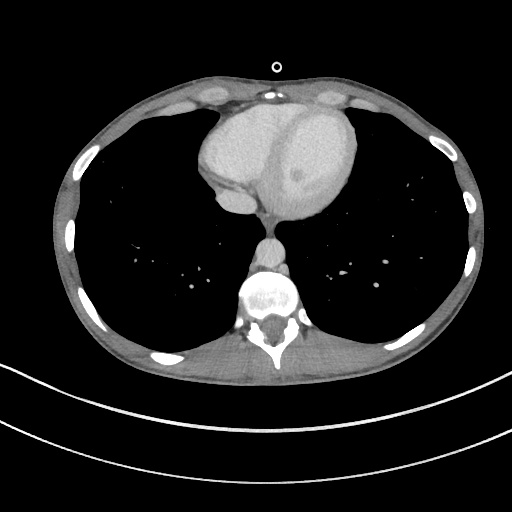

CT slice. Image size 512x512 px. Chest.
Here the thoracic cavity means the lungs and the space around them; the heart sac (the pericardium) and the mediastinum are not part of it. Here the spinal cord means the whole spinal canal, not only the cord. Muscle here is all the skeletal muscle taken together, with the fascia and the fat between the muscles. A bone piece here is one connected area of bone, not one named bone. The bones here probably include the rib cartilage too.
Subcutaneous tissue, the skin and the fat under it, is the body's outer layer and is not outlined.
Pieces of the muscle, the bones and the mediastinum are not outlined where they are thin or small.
{"mediastinum":[[[246,277],[259,270],[271,270],[289,276],[285,248],[276,237],[275,228],[281,221],[303,222],[314,215],[286,219],[271,214],[257,196],[222,185],[198,167],[200,174],[214,190],[215,200],[224,210],[239,214],[252,213],[265,229],[264,237],[255,246]],[[219,117],[224,114],[231,112],[241,105],[250,103],[253,101],[260,101],[261,102],[282,102],[293,101],[280,100],[279,101],[275,102],[270,102],[269,101],[251,101],[250,100],[232,99],[220,105],[210,105],[209,104],[199,105],[196,109],[204,108],[215,111],[219,114]]],"spinal_cord":[[[271,343],[274,343],[281,337],[282,335],[282,330],[285,327],[286,325],[286,318],[284,318],[281,316],[278,316],[274,314],[271,314],[267,316],[263,320],[261,321],[259,321],[259,325],[260,326],[260,328],[268,337],[268,341],[269,341]]],"torso":[[[220,386],[299,385],[373,374],[409,359],[447,328],[477,281],[485,246],[481,190],[465,154],[449,134],[396,96],[352,78],[331,75],[259,79],[212,74],[138,100],[78,150],[60,181],[51,217],[58,275],[78,321],[103,349],[131,367],[180,381]]],"muscle":[{"outer":[[228,378],[336,374],[377,365],[417,345],[452,311],[478,265],[482,215],[465,162],[444,134],[394,102],[342,82],[272,86],[215,78],[142,104],[86,148],[98,142],[103,149],[138,121],[180,101],[192,100],[198,105],[220,104],[232,98],[265,100],[261,95],[268,90],[286,96],[270,101],[309,100],[321,91],[333,90],[348,98],[338,105],[351,106],[350,100],[356,97],[369,100],[377,111],[393,115],[426,139],[430,133],[439,135],[457,151],[458,159],[452,163],[457,182],[477,202],[476,211],[468,215],[468,242],[477,250],[470,275],[461,276],[426,319],[423,332],[407,344],[388,351],[382,342],[358,342],[300,323],[298,336],[282,354],[280,370],[246,339],[247,321],[240,329],[232,327],[216,339],[178,352],[185,358],[171,366],[153,361],[148,356],[150,349],[109,326],[107,332],[102,331],[79,301],[76,287],[82,283],[75,253],[64,246],[65,223],[70,217],[75,219],[80,200],[80,181],[72,180],[72,166],[58,201],[55,236],[62,273],[78,312],[112,348],[144,366],[179,375]],"hole":[[202,102],[210,102],[213,100],[216,100],[217,99],[223,99],[224,98],[225,98],[228,95],[228,91],[225,88],[224,88],[223,87],[214,87],[213,88],[209,88],[208,89],[206,89],[205,90],[200,92],[197,95],[197,99],[199,101],[201,101]]}],"pericardium":[[[286,218],[301,218],[323,210],[338,194],[347,180],[357,148],[356,135],[355,129],[347,116],[335,106],[324,104],[316,100],[282,103],[253,102],[241,106],[231,113],[220,117],[208,132],[200,146],[198,166],[206,174],[222,184],[257,195],[269,212]]],"bones":[{"outer":[[276,369],[280,369],[280,359],[283,350],[297,336],[299,323],[307,326],[314,324],[301,303],[295,284],[289,277],[276,272],[259,271],[248,276],[239,288],[239,308],[233,327],[235,329],[240,328],[247,320],[249,322],[247,339],[262,348],[271,357]],"hole":[[271,343],[274,343],[281,337],[282,335],[282,330],[285,327],[286,325],[286,318],[284,318],[281,316],[278,316],[274,314],[271,314],[267,316],[263,320],[261,321],[259,321],[259,325],[260,326],[260,328],[268,337],[268,341],[269,341]]},[[75,181],[79,181],[80,180],[83,173],[88,167],[91,161],[96,156],[98,152],[101,149],[101,145],[100,144],[98,143],[96,143],[95,144],[93,144],[91,145],[87,149],[86,149],[77,159],[72,169],[72,178],[73,180]],[[104,331],[107,331],[107,329],[108,328],[107,324],[106,324],[105,322],[103,321],[103,320],[98,314],[95,307],[88,297],[83,287],[79,285],[77,287],[77,293],[83,307],[85,309],[86,312],[91,318],[91,319],[102,330]],[[388,350],[392,350],[393,349],[395,349],[407,343],[409,341],[416,337],[419,334],[420,334],[425,328],[427,320],[425,320],[421,322],[407,332],[404,333],[401,336],[400,336],[395,340],[386,342],[383,345],[383,347],[385,349],[387,349]],[[452,162],[455,161],[457,159],[457,153],[454,149],[454,148],[446,140],[445,140],[443,138],[442,138],[439,136],[434,135],[433,134],[430,134],[427,138],[428,139],[429,142],[433,146],[434,146],[440,151],[441,151]],[[156,116],[160,116],[161,115],[172,115],[173,114],[177,114],[178,113],[182,113],[183,112],[191,111],[195,109],[197,105],[196,103],[192,101],[185,101],[184,102],[180,102],[179,103],[172,104],[158,110],[157,111]],[[165,365],[171,365],[172,364],[175,364],[181,361],[184,358],[184,357],[182,355],[180,355],[177,353],[168,353],[167,352],[161,352],[160,351],[156,351],[155,350],[150,350],[149,352],[149,356],[153,360],[159,363],[164,364]],[[202,102],[210,102],[213,100],[216,100],[217,99],[223,99],[224,98],[225,98],[228,95],[228,91],[225,88],[224,88],[223,87],[214,87],[213,88],[209,88],[208,89],[206,89],[205,90],[200,92],[197,95],[197,99],[199,101],[201,101]],[[331,105],[337,105],[338,104],[342,104],[346,101],[347,99],[346,96],[344,94],[342,94],[338,92],[334,92],[333,91],[324,91],[323,92],[321,92],[319,93],[316,97],[317,100],[318,101],[321,101],[324,103],[327,103]],[[69,252],[71,252],[72,251],[73,251],[74,250],[74,236],[75,235],[75,222],[74,221],[74,219],[73,218],[70,218],[67,221],[67,222],[66,223],[66,225],[65,226],[65,234],[64,235],[64,240],[65,241],[65,246],[66,247],[66,249]],[[465,277],[468,276],[471,272],[473,268],[473,265],[474,264],[475,259],[476,258],[476,250],[475,249],[475,247],[473,245],[469,246],[468,250],[467,251],[466,259],[465,260],[465,264],[464,265],[463,273],[462,274],[463,276]]],"thoracic_cavity":[[[168,352],[196,347],[232,326],[238,308],[238,288],[245,278],[254,246],[264,235],[264,229],[254,215],[224,211],[198,172],[199,146],[218,118],[217,113],[204,109],[138,122],[100,151],[81,179],[75,252],[85,290],[101,317],[113,329],[151,349]],[[363,342],[395,339],[424,320],[444,299],[462,273],[468,247],[467,213],[452,164],[441,152],[389,114],[348,107],[346,113],[356,129],[358,142],[348,180],[322,212],[305,219],[303,223],[281,222],[275,231],[286,248],[290,276],[313,322],[328,332]]]}